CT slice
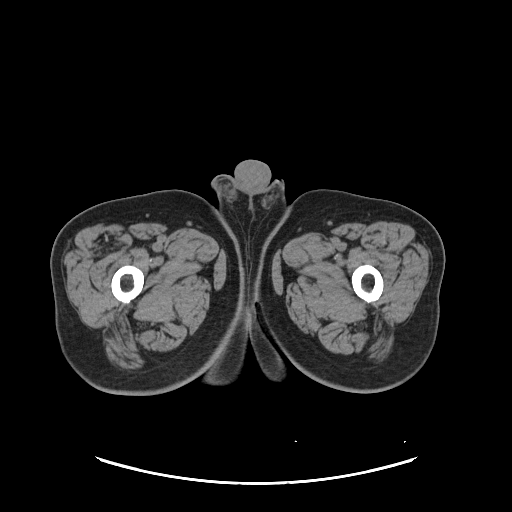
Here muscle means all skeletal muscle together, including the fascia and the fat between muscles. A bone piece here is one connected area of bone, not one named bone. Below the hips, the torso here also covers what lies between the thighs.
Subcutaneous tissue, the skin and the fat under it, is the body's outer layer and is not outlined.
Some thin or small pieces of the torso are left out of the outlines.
Outlined structures:
torso: 246,159 255,159 266,163 270,168 271,178 281,178 284,181 285,194 289,203 285,214 260,256 254,290 246,302 236,244 215,205 217,204 217,197 215,192 210,187 210,182 216,175 232,175 234,173 235,166
right leg: 163,189 186,190 206,199 215,206 234,241 246,303 249,345 245,363 239,378 227,386 204,385 195,379 176,389 155,395 132,396 107,393 81,379 61,353 55,330 50,274 52,245 59,230 79,212 104,201
muscle 1: 128,220 153,220 203,230 218,240 226,252 226,279 222,292 204,325 195,338 174,359 157,368 147,369 144,372 121,371 107,361 99,345 81,322 68,300 61,266 61,256 66,242 75,231 97,223 with a hole at 123,265 133,265 139,268 142,271 144,276 144,282 143,283 143,286 142,287 142,290 141,292 136,297 135,297 128,303 123,303 118,300 113,295 111,291 111,287 110,286 111,279 114,272 118,268
muscle 2: 377,220 392,220 411,223 432,250 431,267 424,293 408,321 398,331 396,344 387,361 375,369 358,369 333,361 316,352 296,332 281,301 274,292 271,280 271,264 273,255 277,249 288,239 297,235 322,225 with a hole at 362,264 370,264 377,268 380,272 383,279 383,290 382,291 382,293 380,295 378,299 377,299 375,301 373,301 369,303 368,302 366,302 364,300 360,298 354,292 354,290 351,283 351,275 354,269
bones 1: 123,265 133,265 139,268 142,271 144,276 144,282 143,283 143,286 142,287 142,290 141,292 136,297 135,297 128,303 123,303 118,300 113,295 111,291 111,287 110,286 111,279 114,272 118,268
bones 2: 362,264 370,264 377,268 380,272 383,279 383,290 382,291 382,293 380,295 378,299 377,299 375,301 373,301 369,303 368,302 366,302 364,300 360,298 354,292 354,290 351,283 351,275 354,269
left leg: 319,188 339,189 405,205 427,218 441,237 445,268 435,343 422,368 391,389 374,393 334,389 308,377 283,354 289,374 283,382 272,383 262,375 256,363 250,345 247,302 255,290 261,256 290,203 302,193